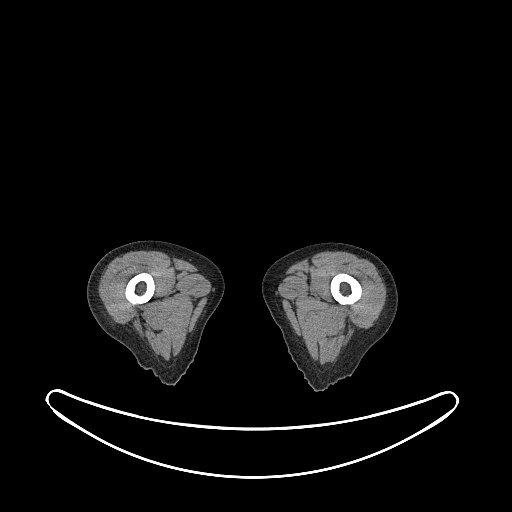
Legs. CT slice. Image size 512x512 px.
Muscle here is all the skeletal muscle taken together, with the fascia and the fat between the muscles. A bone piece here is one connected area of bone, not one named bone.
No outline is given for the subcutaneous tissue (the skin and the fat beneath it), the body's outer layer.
Outlined structures:
right leg: [[138,240],[166,241],[198,252],[210,259],[220,269],[224,279],[225,287],[223,296],[203,329],[194,359],[175,385],[165,385],[161,383],[149,369],[145,370],[140,367],[133,354],[100,327],[92,315],[87,302],[87,281],[95,264],[110,250],[120,245]]
bones 1: [[338,273],[346,273],[354,277],[360,283],[361,285],[361,287],[362,288],[362,294],[360,298],[357,301],[356,301],[352,304],[341,304],[339,303],[334,299],[331,293],[331,290],[330,289],[330,284],[331,283],[331,280],[332,278],[336,274]]
bones 2: [[141,272],[146,272],[151,274],[153,278],[154,285],[155,286],[154,288],[154,291],[153,292],[153,295],[148,301],[144,303],[141,303],[140,304],[132,304],[129,301],[128,301],[125,297],[125,294],[124,293],[125,291],[125,287],[128,281],[133,276]]
muscle 1: [[133,250],[158,250],[170,256],[183,259],[201,271],[210,281],[213,287],[211,300],[208,306],[185,341],[180,353],[176,357],[175,362],[168,367],[162,366],[154,359],[148,346],[141,338],[115,323],[112,323],[101,307],[98,285],[103,271],[115,257]] with a hole at [[141,272],[146,272],[151,274],[153,278],[154,285],[155,286],[154,288],[154,291],[153,292],[153,295],[148,301],[144,303],[141,303],[140,304],[132,304],[129,301],[128,301],[125,297],[125,294],[124,293],[125,291],[125,287],[128,281],[133,276]]
muscle 2: [[326,250],[347,251],[361,258],[365,258],[373,263],[385,284],[386,301],[375,324],[368,329],[357,330],[341,352],[337,362],[330,369],[325,371],[319,371],[319,368],[316,367],[312,362],[304,344],[294,333],[276,291],[277,280],[284,270],[306,256]] with a hole at [[338,273],[346,273],[354,277],[360,283],[361,285],[361,287],[362,288],[362,294],[360,298],[357,301],[356,301],[352,304],[341,304],[339,303],[334,299],[331,293],[331,290],[330,289],[330,284],[331,283],[331,280],[332,278],[336,274]]
left leg: [[320,242],[352,244],[376,255],[387,266],[394,278],[398,293],[398,305],[395,317],[389,329],[366,352],[352,375],[339,380],[322,391],[315,391],[308,384],[302,372],[292,360],[281,330],[271,316],[264,301],[261,286],[265,272],[277,259],[298,248]]